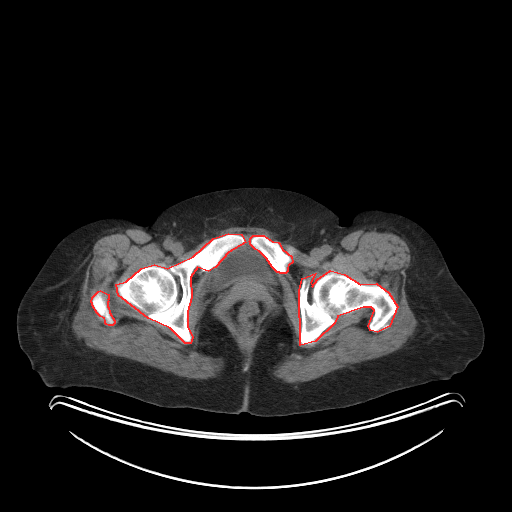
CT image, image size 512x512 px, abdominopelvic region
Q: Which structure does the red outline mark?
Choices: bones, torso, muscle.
A: red: bones.
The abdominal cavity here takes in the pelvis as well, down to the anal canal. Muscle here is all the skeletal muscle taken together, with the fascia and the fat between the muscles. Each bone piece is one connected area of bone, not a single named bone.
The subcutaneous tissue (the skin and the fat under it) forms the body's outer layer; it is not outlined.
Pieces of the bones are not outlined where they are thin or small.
Outlines (x, y in pixels):
bones 1: (228, 233) (241, 234) (245, 242) (228, 252) (215, 267) (208, 271) (197, 267) (190, 277) (191, 297) (187, 311) (187, 326) (192, 337) (190, 343) (185, 343) (170, 328) (148, 318) (118, 295) (116, 284) (126, 281) (141, 268) (154, 264) (167, 268) (193, 256) (213, 238)
bones 2: (330, 270) (344, 274) (360, 284) (376, 283) (388, 292) (397, 306) (389, 326) (377, 332) (370, 330) (368, 326) (374, 310) (371, 307) (363, 307) (337, 316) (334, 323) (315, 341) (300, 345) (299, 290) (302, 278) (315, 273) (310, 282) (312, 286) (317, 279)
bones 3: (253, 235) (263, 235) (272, 241) (278, 242) (282, 249) (291, 256) (292, 262) (288, 265) (287, 267) (287, 271) (285, 273) (280, 273) (279, 272) (277, 272) (272, 267) (266, 258) (259, 251) (255, 249) (250, 244) (250, 242) (249, 241) (250, 240) (250, 238)
bones 4: (100, 290) (108, 294) (108, 299) (107, 300) (108, 301) (107, 302) (107, 306) (108, 307) (109, 312) (114, 320) (114, 323) (112, 325) (108, 325) (106, 324) (105, 323) (105, 320) (104, 318) (100, 316) (97, 313) (92, 305) (92, 303) (91, 302) (92, 297) (98, 291)
muscle: (246, 226) (267, 229) (279, 240) (318, 258) (357, 230) (391, 232) (402, 238) (411, 256) (406, 296) (417, 325) (399, 349) (309, 381) (287, 383) (272, 374) (293, 341) (293, 330) (283, 311) (263, 322) (264, 331) (252, 352) (249, 372) (244, 372) (245, 356) (208, 308) (200, 322) (199, 347) (208, 355) (221, 357) (224, 365) (214, 377) (189, 379) (92, 349) (74, 335) (72, 319) (92, 247) (99, 238) (140, 229) (175, 254) (193, 249) (220, 230) with holes at (228, 233) (241, 234) (246, 243) (253, 235) (263, 235) (278, 242) (292, 259) (285, 273) (277, 273) (281, 285) (278, 297) (251, 338) (239, 337) (210, 300) (211, 269) (202, 271) (197, 267) (190, 277) (190, 343) (118, 295) (116, 284) (141, 268) (154, 264) (167, 268) and at (330, 270) (344, 274) (360, 284) (376, 283) (388, 292) (397, 306) (389, 326) (377, 332) (370, 330) (368, 326) (374, 310) (371, 307) (363, 307) (337, 316) (334, 323) (315, 341) (300, 345) (299, 290) (302, 278) (315, 273) (310, 282) (312, 286) (317, 279) and at (100, 290) (108, 294) (108, 299) (107, 300) (108, 301) (107, 302) (107, 306) (108, 307) (109, 312) (114, 320) (114, 323) (112, 325) (108, 325) (106, 324) (105, 323) (105, 320) (104, 318) (100, 316) (97, 313) (92, 305) (92, 303) (91, 302) (92, 297) (98, 291)
abdominal cavity: (249, 242) (249, 244) (265, 258) (277, 273) (281, 289) (279, 291) (276, 301) (265, 312) (262, 320) (258, 325) (255, 334) (251, 338) (241, 338) (238, 336) (236, 330) (230, 321) (219, 311) (216, 310) (210, 300) (209, 281) (212, 269) (215, 268) (228, 253) (239, 246)
torso: (243, 186) (305, 194) (331, 209) (342, 226) (365, 209) (391, 211) (415, 221) (434, 239) (478, 310) (485, 334) (479, 356) (447, 380) (347, 407) (283, 416) (162, 407) (98, 388) (45, 385) (19, 346) (16, 314) (57, 243) (94, 220) (121, 217) (147, 226) (186, 198)